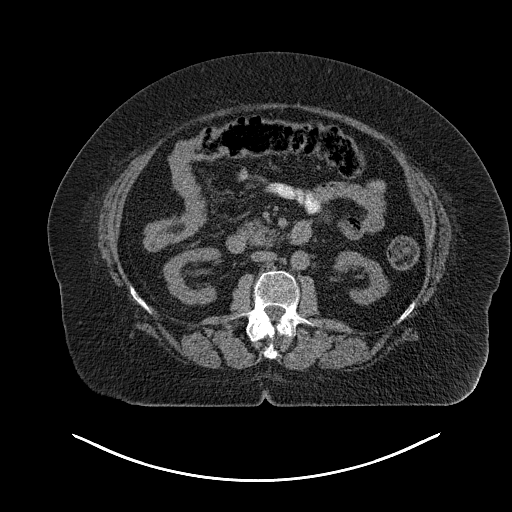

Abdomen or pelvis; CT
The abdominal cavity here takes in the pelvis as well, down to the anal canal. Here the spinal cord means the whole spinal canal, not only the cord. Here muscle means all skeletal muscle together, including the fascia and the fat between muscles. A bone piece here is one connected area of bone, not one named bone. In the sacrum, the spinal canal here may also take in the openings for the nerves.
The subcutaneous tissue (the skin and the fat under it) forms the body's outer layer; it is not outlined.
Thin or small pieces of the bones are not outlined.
Outlines:
torso: 267,50 337,59 404,86 447,118 487,169 507,216 510,253 488,310 487,359 460,401 446,406 278,407 264,399 255,407 144,406 97,394 76,372 65,341 47,239 49,210 69,165 98,126 150,83 207,59
muscle: 267,102 322,107 388,135 434,187 448,216 452,238 445,273 414,319 418,339 400,343 368,367 301,371 274,360 279,355 276,334 294,337 297,325 317,325 297,311 301,276 313,281 320,317 364,332 402,322 414,309 424,282 424,224 400,163 379,139 337,118 299,107 271,107 198,121 155,150 123,204 117,251 132,298 150,315 153,308 170,322 197,323 229,314 234,288 244,274 251,274 253,307 230,319 247,319 244,331 251,342 269,339 262,351 269,359 242,369 213,369 176,359 134,326 134,308 100,255 97,228 103,199 131,160 183,121 241,103; inner edge: 432,229 434,231 434,233 433,234 433,238 432,239 432,245 431,246 431,247 430,248 429,248 427,246 427,244 428,243 428,242 429,241 429,235 430,234 430,232 431,231 431,230
abdominal cavity: 271,108 337,119 379,140 399,163 423,224 425,274 415,297 385,327 358,330 320,316 313,279 301,275 298,283 275,268 254,281 244,273 231,292 229,313 170,321 124,271 118,251 124,204 156,150 198,122
bones 1: 273,269 286,271 295,278 300,290 296,311 316,325 299,323 294,336 276,333 272,342 278,355 270,359 263,354 270,339 265,336 251,341 245,331 248,319 245,316 233,319 231,317 254,307 254,282 261,273, around a hole outlined by 268,306 277,306 278,307 281,307 282,308 283,308 284,309 284,312 280,316 280,317 276,321 273,321 270,318 270,317 266,313 266,312 265,311 265,308 266,307 267,307
bones 2: 129,282 130,282 131,283 131,284 134,287 134,288 137,292 137,293 151,308 151,309 152,310 152,314 150,314 149,313 148,313 133,298 133,297 130,293 130,291 129,290 129,286 128,285 128,283
bones 3: 413,300 414,300 415,301 415,305 414,306 414,307 413,308 413,309 410,312 410,313 402,321 401,321 399,323 397,323 396,324 395,323 396,322 396,320 400,316 400,315 404,311 404,310 409,305 409,304
spinal cord: 268,306 277,306 278,307 281,307 282,308 283,308 284,309 284,312 280,316 280,317 276,321 273,321 270,318 270,317 266,313 266,312 265,311 265,308 266,307 267,307